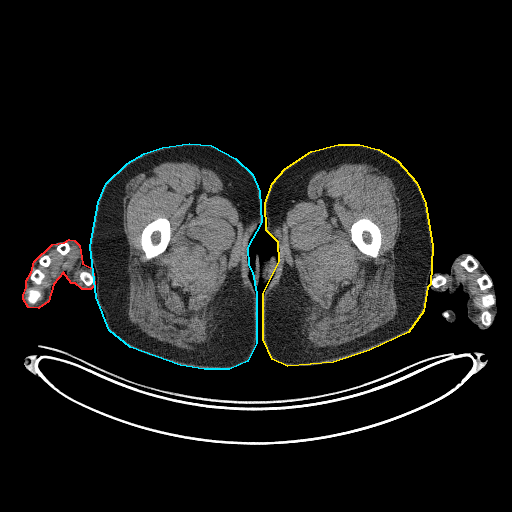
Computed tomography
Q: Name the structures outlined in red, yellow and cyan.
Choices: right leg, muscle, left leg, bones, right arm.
A: red: right arm; yellow: left leg; cyan: right leg.
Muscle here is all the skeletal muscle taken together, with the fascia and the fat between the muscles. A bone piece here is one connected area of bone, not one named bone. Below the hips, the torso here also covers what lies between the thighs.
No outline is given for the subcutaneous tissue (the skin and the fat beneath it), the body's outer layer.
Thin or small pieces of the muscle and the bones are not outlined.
Outlined structures:
right arm: [[69,239],[74,240],[79,245],[82,263],[92,268],[94,285],[90,289],[82,289],[75,283],[71,283],[63,272],[53,284],[48,301],[38,308],[28,307],[23,299],[23,295],[26,287],[26,280],[31,272],[34,261],[52,244],[64,242]]
left leg: [[338,144],[359,144],[378,149],[397,160],[416,182],[425,203],[432,246],[430,284],[427,287],[423,311],[408,332],[369,350],[333,362],[287,366],[272,359],[263,339],[263,293],[279,261],[278,242],[266,230],[265,203],[272,183],[285,168],[311,151]]
right leg: [[189,143],[211,145],[235,158],[252,174],[259,191],[261,222],[247,247],[248,265],[252,272],[256,293],[256,343],[247,361],[229,369],[204,369],[180,365],[130,347],[109,330],[96,297],[90,246],[98,202],[106,183],[127,163],[144,153],[162,147]]
torso: [[256,254],[258,254],[260,259],[262,261],[268,258],[271,255],[275,255],[276,256],[278,254],[278,261],[276,265],[276,268],[272,274],[272,276],[268,283],[267,282],[264,282],[261,280],[258,284],[255,285],[254,287],[253,270],[254,269],[255,255]]
bones 1: [[158,217],[165,217],[167,218],[169,221],[169,223],[170,224],[170,229],[171,230],[171,232],[170,233],[170,239],[165,251],[161,254],[151,259],[146,259],[145,254],[141,247],[141,244],[140,243],[141,233],[142,232],[142,230],[147,224],[153,221]]
bones 2: [[364,217],[367,217],[369,218],[374,223],[375,223],[379,227],[381,232],[381,246],[378,252],[378,255],[377,257],[375,258],[368,256],[362,253],[353,243],[351,239],[351,233],[350,232],[350,229],[352,224],[358,219],[360,218],[363,218]]
bones 3: [[488,293],[492,293],[495,296],[495,303],[487,309],[494,317],[493,318],[493,321],[491,324],[488,326],[486,326],[482,324],[480,320],[480,316],[481,315],[481,313],[485,309],[482,307],[481,305],[482,304],[482,302],[481,301],[481,297],[483,295]]
bones 4: [[29,287],[33,287],[35,289],[37,289],[41,293],[41,294],[42,295],[42,297],[36,303],[35,303],[34,304],[30,304],[29,303],[28,303],[28,302],[26,300],[26,297],[27,296],[27,295],[26,294],[26,289],[27,288],[28,288]]
bones 5: [[469,254],[471,255],[474,258],[475,258],[475,259],[477,260],[478,262],[478,265],[477,267],[474,270],[472,271],[468,271],[462,265],[460,264],[460,262],[462,260],[463,260],[466,257],[466,256],[467,256]]
bones 6: [[34,268],[38,268],[43,273],[44,273],[44,274],[45,275],[45,277],[42,280],[42,282],[40,284],[35,284],[34,283],[33,283],[32,282],[32,281],[31,280],[30,280],[30,278],[29,277],[30,276],[30,273],[32,271],[32,270]]
bones 7: [[483,274],[487,274],[489,276],[489,277],[490,278],[490,279],[492,282],[492,285],[491,286],[491,287],[490,288],[487,288],[484,290],[482,290],[480,288],[480,287],[479,286],[479,285],[478,284],[478,283],[476,280],[479,277],[480,277]]
bones 8: [[84,270],[85,270],[86,271],[88,271],[91,274],[92,274],[92,275],[93,276],[93,277],[94,278],[94,281],[93,282],[93,283],[92,283],[90,285],[86,285],[80,279],[80,277],[79,276],[79,275],[80,274],[80,273],[82,271],[83,271]]
bones 9: [[437,274],[440,274],[441,275],[444,276],[446,279],[446,283],[444,285],[442,285],[441,286],[440,286],[439,287],[437,287],[436,288],[435,287],[432,286],[432,285],[431,284],[431,280],[432,279],[432,278],[433,278],[434,277],[434,276],[435,276]]
bones 10: [[62,242],[66,242],[67,243],[68,243],[68,244],[69,245],[69,247],[70,248],[69,249],[69,250],[68,251],[68,252],[66,254],[65,254],[64,255],[62,255],[56,249],[56,248],[57,247],[57,246],[58,245],[59,245]]
bones 11: [[45,254],[47,254],[49,256],[49,257],[50,258],[50,263],[49,264],[49,265],[48,266],[47,266],[46,267],[45,267],[44,266],[42,266],[41,265],[40,265],[40,264],[39,263],[39,258],[40,257],[40,256],[41,256],[42,255],[44,255]]
left arm 1: [[463,253],[471,255],[482,265],[489,276],[495,290],[495,303],[497,306],[497,310],[493,321],[486,329],[479,329],[469,319],[467,315],[468,294],[463,290],[460,285],[451,294],[447,290],[437,292],[431,286],[432,276],[436,273],[449,272],[455,258]]
left arm 2: [[446,310],[451,310],[454,312],[454,313],[455,314],[455,319],[453,322],[449,322],[447,319],[448,318],[447,317],[446,317],[445,316],[444,316],[444,315],[443,314],[443,313],[444,312],[444,311],[445,311]]
muscle 1: [[168,161],[191,162],[200,168],[212,170],[219,177],[226,189],[242,228],[242,244],[237,263],[209,302],[214,332],[207,343],[193,350],[177,347],[149,336],[130,321],[127,311],[130,281],[128,271],[130,250],[123,229],[125,186],[136,175]], around a hole outlined by [[158,217],[165,217],[167,218],[169,221],[169,223],[170,224],[170,229],[171,230],[171,232],[170,233],[170,239],[165,251],[161,254],[151,259],[146,259],[145,254],[141,247],[141,244],[140,243],[141,233],[142,232],[142,230],[147,224],[153,221]]
muscle 2: [[342,163],[371,165],[389,177],[395,187],[400,211],[400,231],[393,249],[393,288],[397,313],[392,320],[353,340],[334,346],[314,347],[305,335],[305,317],[312,302],[296,270],[285,258],[282,230],[287,212],[297,203],[311,200],[307,187],[313,174]] with a hole at [[364,217],[367,217],[369,218],[374,223],[375,223],[379,227],[381,232],[381,246],[378,252],[378,255],[377,257],[375,258],[368,256],[362,253],[353,243],[351,239],[351,233],[350,232],[350,229],[352,224],[358,219],[360,218],[363,218]]
muscle 3: [[69,244],[75,245],[78,250],[78,258],[76,261],[76,264],[83,270],[78,275],[79,279],[83,283],[75,279],[72,271],[65,270],[61,271],[51,280],[49,285],[44,290],[43,297],[42,293],[37,288],[33,286],[28,287],[30,284],[30,281],[35,285],[40,285],[46,277],[45,273],[38,267],[36,267],[38,264],[45,268],[50,265],[51,258],[48,252],[55,248],[62,256],[64,256],[69,252],[71,248]]
muscle 4: [[463,257],[464,258],[459,262],[459,264],[468,272],[472,272],[478,268],[482,274],[475,280],[479,288],[482,291],[490,289],[492,292],[485,293],[480,297],[481,302],[480,305],[484,309],[479,316],[479,320],[481,324],[476,318],[476,315],[479,312],[479,310],[473,305],[473,296],[468,286],[465,283],[462,283],[455,279],[452,281],[451,285],[444,286],[447,283],[446,276],[453,277],[454,276],[454,266],[458,260]]